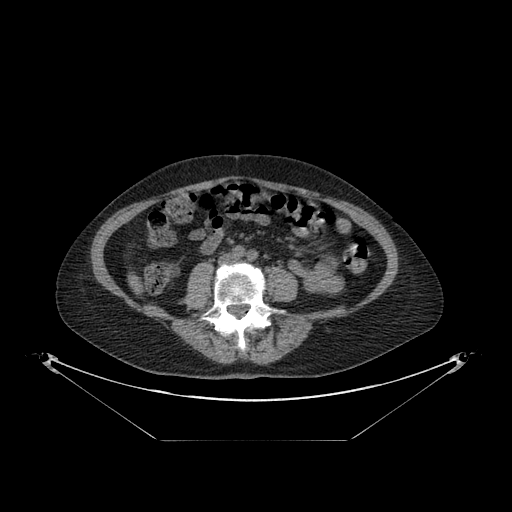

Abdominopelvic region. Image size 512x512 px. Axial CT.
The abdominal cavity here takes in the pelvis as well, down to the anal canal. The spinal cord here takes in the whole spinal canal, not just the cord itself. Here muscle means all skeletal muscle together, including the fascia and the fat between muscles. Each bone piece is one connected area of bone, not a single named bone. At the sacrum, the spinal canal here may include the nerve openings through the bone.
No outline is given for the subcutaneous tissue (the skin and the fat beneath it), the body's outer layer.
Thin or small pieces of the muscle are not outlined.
abdominal cavity: (237, 179) (347, 214) (384, 252) (385, 269) (373, 289) (349, 306) (290, 311) (280, 305) (298, 295) (290, 271) (271, 265) (265, 276) (259, 266) (236, 261) (222, 262) (214, 276) (204, 260) (191, 269) (179, 300) (186, 315) (131, 297) (105, 262) (112, 234) (171, 197)
torso: (241, 153) (281, 155) (318, 165) (353, 184) (388, 211) (422, 250) (440, 281) (444, 307) (437, 324) (393, 350) (345, 371) (309, 378) (251, 379) (202, 379) (147, 372) (110, 356) (67, 327) (56, 308) (55, 280) (66, 251) (86, 224) (122, 191) (164, 165) (201, 155)
spinal cord: (231, 305) (248, 305) (248, 309) (246, 311) (246, 312) (240, 318) (237, 318) (233, 314) (232, 314) (231, 313) (230, 313) (228, 311) (228, 307) (229, 306) (230, 306)
bones: (236, 262) (259, 267) (265, 277) (263, 301) (272, 307) (285, 310) (284, 313) (272, 313) (268, 317) (271, 321) (269, 326) (262, 329) (247, 327) (244, 330) (244, 351) (237, 346) (238, 335) (235, 331) (223, 335) (207, 320) (198, 319) (213, 304) (216, 269) (222, 263), around a hole outlined by (231, 305) (248, 305) (248, 309) (246, 311) (246, 312) (240, 318) (237, 318) (233, 314) (232, 314) (231, 313) (230, 313) (228, 311) (228, 307) (229, 306) (230, 306)
muscle 1: (229, 175) (246, 175) (303, 187) (317, 191) (326, 196) (348, 201) (367, 211) (381, 223) (389, 233) (396, 247) (398, 271) (393, 282) (387, 290) (376, 299) (347, 316) (330, 319) (323, 325) (316, 327) (298, 347) (280, 359) (268, 364) (261, 365) (249, 360) (240, 359) (232, 363) (223, 364) (213, 361) (192, 349) (175, 333) (165, 328) (153, 318) (131, 308) (121, 298) (105, 289) (95, 279) (90, 257) (91, 244) (100, 226) (119, 209) (178, 187); inner edge: (237, 179) (315, 199) (347, 214) (384, 252) (385, 269) (373, 289) (349, 306) (272, 313) (269, 326) (244, 330) (244, 351) (235, 331) (223, 335) (198, 319) (213, 304) (210, 261) (198, 262) (189, 273) (179, 300) (184, 316) (131, 297) (105, 262) (112, 234) (171, 197)
muscle 2: (271, 266) (280, 267) (288, 272) (290, 272) (296, 278) (298, 283) (298, 289) (297, 290) (296, 297) (289, 302) (280, 303) (279, 305) (283, 308) (272, 306) (264, 301) (264, 298) (263, 297) (266, 289) (266, 274) (265, 273) (265, 269) (266, 267) (270, 267)